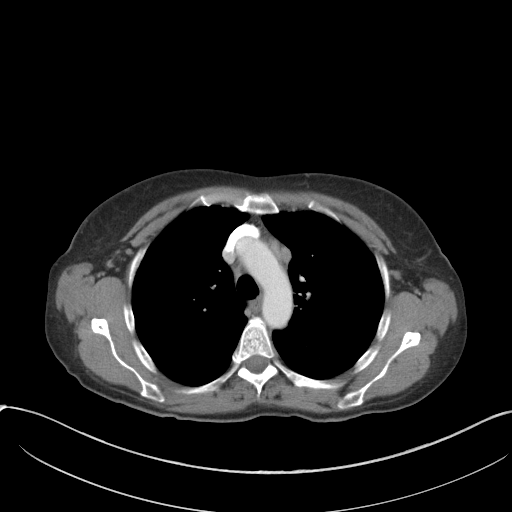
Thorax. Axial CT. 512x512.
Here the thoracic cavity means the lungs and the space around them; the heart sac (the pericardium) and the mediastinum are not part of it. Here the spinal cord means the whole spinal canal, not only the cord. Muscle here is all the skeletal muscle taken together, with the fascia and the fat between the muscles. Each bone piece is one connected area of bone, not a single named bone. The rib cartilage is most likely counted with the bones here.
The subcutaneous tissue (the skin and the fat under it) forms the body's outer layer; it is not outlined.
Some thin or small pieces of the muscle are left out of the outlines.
Outlined structures:
torso: [[192,167],[253,175],[343,174],[379,184],[406,200],[433,232],[464,291],[467,338],[448,377],[411,406],[338,422],[313,422],[295,416],[259,416],[224,423],[179,420],[115,403],[83,388],[55,357],[45,337],[49,269],[88,213],[116,191],[161,172]]
mediastinum: [[250,214],[261,215],[262,221],[268,230],[291,252],[291,259],[287,271],[292,290],[292,313],[287,326],[283,329],[273,330],[270,337],[266,325],[259,316],[252,316],[248,319],[245,315],[245,303],[238,297],[232,271],[222,257],[222,250],[228,236]]
spinal cord: [[253,355],[259,355],[260,356],[262,356],[264,357],[266,359],[266,361],[267,362],[266,363],[266,365],[265,367],[261,371],[259,372],[254,372],[253,371],[251,371],[246,366],[246,364],[245,362],[248,358],[249,358]]
thoracic cavity 1: [[214,204],[232,206],[249,214],[230,232],[221,250],[221,257],[232,274],[235,293],[244,303],[243,313],[247,321],[231,354],[229,367],[214,379],[191,386],[175,381],[163,373],[140,341],[132,307],[132,287],[136,272],[149,246],[164,228],[188,209]]
thoracic cavity 2: [[281,210],[311,210],[343,224],[369,249],[379,271],[384,302],[374,337],[351,367],[330,378],[313,378],[288,367],[281,360],[271,339],[273,331],[283,330],[288,326],[294,308],[293,290],[288,271],[292,252],[269,230],[262,218],[263,215],[277,214]]
muscle: [[213,185],[239,186],[258,192],[265,190],[312,190],[347,201],[357,206],[370,216],[390,239],[395,252],[390,252],[386,256],[386,259],[390,269],[393,288],[396,292],[404,290],[414,292],[419,289],[421,290],[422,281],[426,278],[436,278],[446,282],[454,292],[457,304],[457,316],[455,322],[449,325],[444,335],[439,340],[435,351],[430,356],[430,366],[425,375],[399,393],[374,398],[361,406],[364,402],[364,395],[368,388],[385,375],[391,362],[406,349],[419,344],[421,333],[417,330],[405,331],[398,347],[389,356],[380,371],[359,388],[345,393],[336,403],[336,406],[339,409],[342,410],[355,407],[327,413],[315,413],[300,409],[261,404],[251,404],[242,410],[234,412],[204,414],[183,413],[155,406],[123,387],[108,383],[93,373],[88,372],[78,355],[72,325],[68,323],[64,314],[58,310],[55,302],[57,282],[63,269],[72,264],[90,262],[93,264],[95,272],[103,272],[107,276],[122,278],[125,268],[132,257],[133,249],[129,243],[120,240],[136,221],[155,204],[170,196],[184,191]], around holes outlined by [[213,192],[267,193],[285,211],[307,210],[312,199],[332,210],[373,255],[384,258],[389,295],[383,308],[390,322],[383,338],[371,341],[379,349],[366,367],[356,373],[350,367],[330,378],[343,380],[342,386],[296,386],[280,372],[257,397],[254,385],[234,374],[216,391],[185,394],[176,391],[184,384],[159,369],[150,371],[137,356],[132,340],[139,338],[128,330],[123,313],[124,304],[132,303],[132,259],[197,197]] and by [[93,317],[106,319],[109,333],[118,356],[124,362],[131,366],[146,381],[157,385],[161,394],[164,397],[164,401],[160,402],[144,397],[140,394],[142,387],[136,375],[131,370],[123,366],[114,357],[107,338],[104,335],[95,333],[92,330],[91,319]]
bones 1: [[252,317],[262,320],[280,360],[288,368],[313,379],[340,379],[344,384],[329,389],[296,386],[280,372],[265,382],[259,397],[253,384],[235,374],[216,391],[193,394],[176,391],[181,386],[203,385],[222,375],[230,367],[232,354],[239,343],[242,331]] with a hole at [[253,355],[259,355],[260,356],[262,356],[264,357],[266,359],[266,361],[267,362],[266,363],[266,365],[265,367],[261,371],[259,372],[254,372],[253,371],[251,371],[246,366],[246,364],[245,362],[248,358],[249,358]]
bones 2: [[213,192],[235,194],[241,197],[243,197],[247,193],[250,194],[267,193],[277,204],[280,211],[277,213],[270,213],[262,215],[256,213],[243,212],[227,202],[214,203],[208,206],[198,205],[191,208],[188,208],[189,205],[200,195],[202,194],[206,195]]
bones 3: [[407,331],[417,331],[420,333],[420,339],[418,344],[406,348],[399,353],[390,362],[384,375],[374,381],[367,388],[363,395],[363,402],[360,405],[343,409],[339,408],[337,406],[337,403],[345,394],[359,389],[381,371],[387,360],[399,347],[404,333]]
bones 4: [[93,317],[106,319],[109,333],[118,356],[124,362],[131,366],[146,381],[157,385],[161,394],[164,397],[164,401],[160,402],[144,397],[140,394],[142,387],[136,375],[131,370],[123,366],[114,357],[107,338],[104,335],[95,333],[92,330],[91,319]]
bones 5: [[133,339],[137,339],[139,340],[139,341],[141,343],[141,344],[143,346],[145,350],[148,353],[148,354],[154,362],[156,367],[158,369],[158,372],[157,373],[154,373],[150,371],[141,362],[141,361],[137,356],[134,350],[134,348],[132,345],[132,340]]
bones 6: [[375,344],[378,344],[379,345],[379,349],[378,350],[378,352],[376,354],[375,357],[372,360],[372,361],[366,367],[365,367],[360,371],[356,373],[353,373],[353,369],[352,368],[352,366],[355,363],[355,362],[366,351],[366,350],[370,346],[374,345]]
bones 7: [[376,252],[380,254],[384,258],[384,260],[387,266],[387,270],[388,271],[388,275],[389,276],[389,295],[387,299],[385,299],[385,293],[384,292],[384,286],[383,285],[382,278],[380,274],[380,271],[379,270],[376,259],[374,256],[374,254]]
bones 8: [[146,244],[148,244],[148,247],[147,248],[147,249],[135,272],[135,275],[133,278],[133,282],[132,283],[132,286],[131,287],[131,289],[130,289],[128,286],[128,277],[129,276],[129,270],[130,269],[130,265],[131,264],[132,259],[135,255],[137,250]]
bones 9: [[384,309],[387,309],[390,312],[390,322],[389,323],[389,325],[388,326],[388,328],[387,329],[387,331],[385,335],[380,341],[378,341],[375,339],[375,334],[376,333],[376,330],[377,329],[377,327],[378,326],[380,318],[382,315],[382,313]]
bones 10: [[311,199],[315,201],[317,201],[323,204],[325,206],[328,207],[331,210],[332,210],[339,217],[340,219],[340,222],[338,222],[336,221],[333,218],[321,212],[319,212],[315,210],[312,210],[311,209],[308,209],[306,205],[306,202],[308,200],[310,200]]
bones 11: [[126,303],[130,303],[131,304],[131,307],[132,308],[132,311],[133,312],[133,317],[134,318],[134,323],[135,324],[135,332],[133,334],[131,334],[128,330],[128,328],[126,325],[125,319],[124,318],[124,314],[123,313],[123,306],[124,304]]